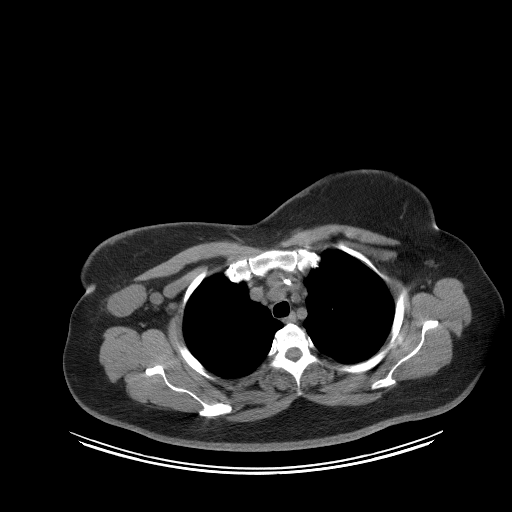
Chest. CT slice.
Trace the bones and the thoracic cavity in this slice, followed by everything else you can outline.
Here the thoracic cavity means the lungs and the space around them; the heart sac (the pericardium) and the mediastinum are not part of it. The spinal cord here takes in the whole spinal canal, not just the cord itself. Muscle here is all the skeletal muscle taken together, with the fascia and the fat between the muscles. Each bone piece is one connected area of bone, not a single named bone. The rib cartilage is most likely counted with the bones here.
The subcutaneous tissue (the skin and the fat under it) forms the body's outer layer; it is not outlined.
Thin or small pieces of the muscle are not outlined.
The bones appear in 8 outlined pieces: piece 1: 298,248 305,248 319,254 320,261 316,268 304,269 302,271 297,268 293,271 273,268 263,276 253,275 248,281 241,281 237,283 232,282 223,273 223,271 231,263 243,258 255,256 263,251 269,249 293,250; piece 2: 288,323 296,324 305,330 314,344 317,353 321,359 321,363 314,362 310,363 304,369 300,377 300,389 302,392 300,396 297,395 296,382 294,377 290,373 283,368 269,368 266,365 267,354 271,347 275,333 with a hole at 290,348 297,348 300,351 300,352 301,353 301,355 296,360 292,360 291,359 290,359 289,358 288,358 286,356 286,352; piece 3: 403,287 407,291 407,301 404,305 403,319 398,333 402,337 402,340 399,342 398,341 374,367 366,371 351,373 342,372 335,369 333,365 338,363 355,364 365,361 386,345 393,323 395,313 395,300 401,288; piece 4: 156,364 163,366 167,379 173,385 189,390 208,404 214,402 229,404 232,408 231,411 229,413 211,417 199,415 198,412 202,408 202,405 196,399 186,392 176,391 170,388 158,373 152,375 145,374 146,368; piece 5: 428,319 437,320 438,325 436,327 428,329 425,332 423,343 417,352 403,361 393,371 392,377 396,382 385,387 372,389 371,384 374,381 383,378 400,359 409,353 416,346 421,337 421,330 423,322; piece 6: 339,241 341,241 347,246 360,252 367,258 368,258 382,273 385,274 388,277 388,283 387,284 372,269 371,269 359,259 356,258 354,256 346,252 344,252 339,249 336,249 334,248 332,244 333,243 335,243; piece 7: 177,342 181,344 184,344 192,354 192,355 205,368 205,369 214,377 214,379 210,379 209,378 207,378 203,375 197,372 194,369 193,369 183,359 183,358 179,353 177,349 177,347 176,346 176,343; piece 8: 205,268 207,268 209,272 209,274 202,280 202,281 197,286 197,287 190,295 189,298 186,302 186,304 183,310 183,314 182,315 181,313 181,309 182,308 182,300 183,299 184,293 187,287 194,278 194,277. The thoracic cavity appears in 2 outlined pieces: piece 1: 330,249 339,250 362,262 387,285 394,300 392,323 384,343 376,353 365,360 355,363 342,363 327,355 320,354 303,326 304,321 308,315 306,306 308,291 304,281 310,270 316,269 319,266 321,261 320,253; piece 2: 220,272 222,272 232,283 237,284 241,282 245,282 248,290 249,298 265,306 269,310 271,316 283,324 274,333 265,359 252,372 235,378 224,378 209,372 187,347 182,333 182,319 184,310 191,295 205,278. The torso is outlined by 354,167 390,170 419,186 431,201 437,226 472,249 500,293 504,314 495,343 462,401 439,415 352,441 263,452 168,444 80,407 66,384 62,354 71,311 84,292 80,268 96,245 155,223 253,223 321,176. The spinal cord is outlined by 290,348 297,348 300,351 300,352 301,353 301,355 296,360 292,360 291,359 290,359 289,358 288,358 286,356 286,352. The muscle is outlined by 327,223 362,227 397,239 400,244 396,248 398,253 393,270 411,287 412,294 430,292 433,284 444,277 454,277 462,282 471,307 471,321 453,342 450,363 435,374 400,381 380,398 366,404 327,406 299,397 272,416 246,422 202,417 229,414 232,406 221,401 208,403 189,389 173,384 160,363 146,367 144,374 158,374 170,389 196,400 201,405 197,414 147,407 133,400 121,383 108,379 99,362 102,335 107,328 123,325 140,333 149,328 165,331 170,318 166,310 168,300 161,288 153,280 132,281 134,277 196,244 240,239 253,246 269,247 296,228; inner edges: 339,241 363,254 388,277 394,300 401,288 407,291 398,333 402,340 374,367 359,373 342,372 333,367 337,360 320,354 321,363 310,363 304,369 298,396 294,377 283,368 269,368 265,359 246,375 224,378 213,374 214,379 200,374 183,359 176,346 177,342 186,344 182,300 203,269 211,276 237,260 269,249 305,248 319,254 333,249 332,244, then 428,319 437,320 438,325 436,327 428,329 425,332 423,343 417,352 403,361 393,371 392,377 396,382 385,387 372,389 371,384 374,381 383,378 400,359 409,353 416,346 421,337 421,330 423,322. The mediastinum is outlined by 273,269 281,269 287,272 293,272 296,269 301,272 304,270 309,270 303,281 307,291 305,300 307,315 303,321 303,327 293,322 284,324 274,318 270,310 265,305 250,298 246,282 248,282 253,276 263,277.